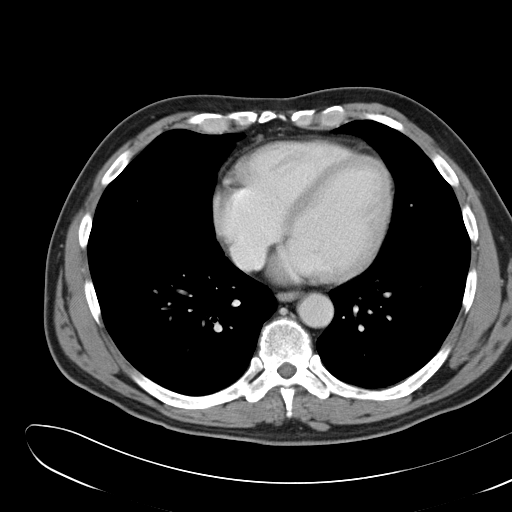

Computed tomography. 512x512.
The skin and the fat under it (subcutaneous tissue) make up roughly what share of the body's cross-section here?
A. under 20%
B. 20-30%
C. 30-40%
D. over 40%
Answer: A. under 20%
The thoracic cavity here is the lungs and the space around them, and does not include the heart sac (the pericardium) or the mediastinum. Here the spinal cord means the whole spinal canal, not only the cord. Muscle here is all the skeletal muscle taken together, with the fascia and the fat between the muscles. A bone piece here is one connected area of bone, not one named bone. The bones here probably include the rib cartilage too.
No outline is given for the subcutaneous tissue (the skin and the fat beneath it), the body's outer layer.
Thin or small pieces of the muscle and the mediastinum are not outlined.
{"torso":[[[340,86],[385,88],[421,103],[455,131],[489,176],[511,214],[511,371],[471,403],[403,431],[351,443],[298,447],[258,445],[167,430],[130,415],[68,380],[53,361],[44,334],[45,261],[66,196],[108,132],[139,108],[177,95],[215,93],[288,97]]],"muscle":[[[350,102],[377,102],[400,112],[431,137],[477,190],[502,271],[511,259],[511,340],[481,375],[441,399],[389,418],[317,430],[290,418],[295,385],[320,400],[331,394],[372,401],[408,396],[447,359],[452,347],[443,343],[461,308],[469,311],[478,281],[476,268],[469,268],[478,224],[468,203],[460,207],[453,189],[460,184],[456,172],[440,154],[428,157],[404,133],[403,123],[389,115],[364,111],[348,121],[340,104]],[[187,110],[206,111],[185,120],[195,130],[163,131],[132,159],[134,153],[125,149],[102,175],[104,189],[93,216],[86,211],[77,229],[91,278],[84,280],[84,297],[94,321],[99,325],[102,319],[133,366],[131,379],[157,400],[175,408],[204,410],[240,397],[255,403],[279,387],[288,419],[278,425],[223,427],[166,416],[83,370],[64,353],[56,335],[54,302],[62,245],[97,172],[120,146],[150,124]]],"pericardium":[[[281,134],[285,136],[323,134],[356,138],[371,146],[379,154],[393,178],[394,197],[391,218],[377,256],[361,274],[327,290],[308,292],[277,290],[240,269],[216,237],[212,206],[214,192],[219,182],[220,170],[234,153],[242,147],[261,136],[267,138]]],"thoracic_cavity":[[[172,129],[243,135],[235,141],[216,173],[211,206],[213,228],[224,255],[245,274],[265,285],[276,300],[276,308],[261,327],[256,352],[246,369],[230,384],[202,395],[165,387],[138,370],[124,356],[104,324],[87,255],[93,217],[105,188],[152,140]],[[356,119],[385,125],[404,134],[418,146],[452,188],[470,241],[461,307],[441,346],[416,371],[383,388],[362,387],[338,378],[328,370],[313,347],[335,314],[330,292],[361,275],[375,261],[388,233],[393,213],[395,182],[380,154],[361,136],[335,130]]],"bones":[{"outer":[[280,318],[307,332],[330,373],[367,389],[395,385],[443,345],[451,349],[421,386],[395,399],[334,393],[320,399],[295,384],[289,418],[279,386],[255,402],[240,396],[204,409],[175,407],[140,387],[133,367],[177,393],[211,394],[243,374],[262,327]],"hole":[[285,362],[287,362],[288,363],[289,363],[290,364],[291,364],[293,366],[294,366],[295,367],[295,371],[294,372],[294,373],[291,376],[290,376],[289,377],[283,377],[278,372],[278,368],[283,363],[284,363]]},[[335,104],[344,108],[347,122],[332,128],[322,128],[316,122],[300,127],[289,120],[275,118],[245,127],[232,125],[222,133],[203,133],[186,122],[200,112],[227,114],[251,110],[260,113],[269,109],[288,118],[297,110],[313,108],[317,115]],[[128,149],[130,150],[133,153],[133,155],[130,161],[128,163],[128,164],[122,170],[122,171],[114,179],[113,179],[105,187],[104,187],[101,183],[101,179],[103,175],[108,169],[108,168],[112,164],[112,163],[116,159],[116,158],[122,152]],[[434,153],[436,153],[440,155],[449,164],[449,165],[455,172],[459,180],[459,184],[457,186],[455,187],[452,187],[440,174],[440,173],[438,171],[438,170],[436,168],[436,167],[434,165],[434,164],[432,162],[432,161],[429,157],[430,155]],[[470,268],[475,268],[476,270],[476,273],[477,274],[477,281],[476,282],[476,289],[475,290],[473,301],[468,311],[466,313],[465,313],[464,309],[462,307],[462,299],[463,298],[463,294],[464,293],[464,290],[465,289],[465,284],[466,283],[467,274]],[[86,279],[91,279],[93,283],[93,286],[95,290],[95,293],[97,297],[97,300],[98,301],[100,311],[101,312],[101,321],[99,324],[98,324],[95,321],[94,318],[92,316],[92,314],[90,311],[90,309],[88,306],[88,304],[85,297],[84,283]],[[465,204],[468,204],[469,205],[471,210],[474,214],[474,216],[476,220],[476,223],[477,224],[477,229],[478,230],[478,237],[477,238],[477,241],[475,243],[471,242],[469,238],[468,233],[466,230],[464,222],[463,221],[462,213],[461,212],[461,208]],[[364,112],[370,112],[371,113],[379,113],[380,114],[384,114],[387,116],[389,116],[399,121],[401,123],[402,123],[404,127],[404,131],[403,133],[394,128],[392,128],[380,122],[378,122],[371,119],[364,119],[363,118],[361,118],[362,116],[362,113]],[[86,212],[88,212],[91,214],[92,216],[92,223],[91,224],[91,229],[89,233],[89,237],[87,241],[87,245],[86,246],[86,248],[85,249],[83,249],[80,246],[79,244],[79,239],[78,238],[78,229],[79,228],[79,224],[81,221],[81,219]]],"spinal_cord":[[[285,362],[287,362],[288,363],[289,363],[290,364],[291,364],[293,366],[294,366],[295,367],[295,371],[294,372],[294,373],[291,376],[290,376],[289,377],[283,377],[278,372],[278,368],[283,363],[284,363]]],"mediastinum":[[[247,274],[257,278],[277,291],[308,293],[327,291],[332,288],[335,288],[333,288],[329,292],[334,306],[333,317],[327,327],[316,339],[314,345],[312,344],[312,340],[308,332],[294,319],[280,317],[264,324],[276,310],[277,300],[271,290],[265,284]],[[275,119],[300,128],[336,128],[334,130],[338,133],[352,134],[365,141],[356,137],[323,133],[281,133],[267,137],[261,135],[235,151],[223,164],[216,187],[221,165],[236,141],[244,136],[242,133],[225,132],[230,128],[245,128],[254,123],[263,124]]]}